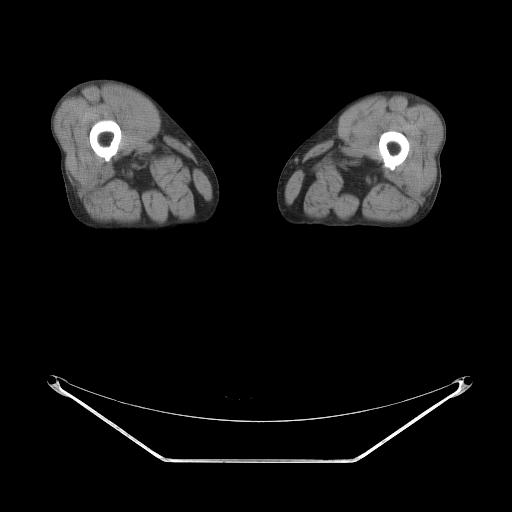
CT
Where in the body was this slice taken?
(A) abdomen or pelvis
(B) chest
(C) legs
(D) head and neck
Answer: (C) legs
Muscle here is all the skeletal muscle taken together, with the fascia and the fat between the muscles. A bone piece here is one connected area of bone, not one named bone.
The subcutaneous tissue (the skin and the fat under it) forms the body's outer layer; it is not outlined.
The muscle appears in 2 outlined pieces: piece 1: (115, 81) (122, 82) (147, 93) (165, 120) (193, 146) (211, 175) (214, 185) (214, 200) (203, 216) (189, 221) (169, 221) (164, 225) (153, 223) (122, 225) (116, 223) (101, 224) (82, 212) (66, 174) (65, 153) (54, 131) (54, 117) (61, 103) (81, 86) (90, 82), around a hole outlined by (102, 119) (113, 119) (119, 125) (122, 132) (122, 137) (121, 138) (121, 141) (120, 142) (120, 145) (119, 146) (118, 151) (117, 153) (114, 156) (113, 156) (108, 162) (105, 161) (103, 158) (98, 156) (94, 152) (89, 142) (89, 132) (90, 131) (91, 127) (95, 122); piece 2: (387, 93) (405, 93) (425, 102) (437, 114) (442, 124) (443, 137) (435, 155) (435, 184) (427, 198) (423, 213) (397, 223) (369, 220) (342, 221) (327, 218) (315, 220) (292, 215) (284, 203) (284, 189) (287, 168) (294, 157) (306, 146) (323, 135) (350, 105) (371, 95); inner edge: (388, 130) (395, 130) (396, 131) (401, 132) (407, 138) (410, 144) (410, 148) (406, 158) (404, 161) (401, 164) (398, 165) (394, 169) (394, 170) (390, 170) (388, 168) (386, 168) (383, 166) (383, 162) (378, 151) (378, 142) (379, 141) (379, 137) (383, 132). The left leg is outlined by (388, 88) (408, 90) (421, 95) (438, 108) (445, 120) (446, 139) (440, 155) (441, 183) (429, 213) (422, 221) (408, 229) (384, 229) (363, 226) (326, 227) (322, 225) (292, 225) (285, 221) (280, 215) (276, 205) (276, 188) (280, 173) (291, 154) (346, 103) (367, 92). The bones appear in 2 outlined pieces: piece 1: (102, 119) (113, 119) (119, 125) (122, 132) (122, 137) (121, 138) (121, 141) (120, 142) (120, 145) (119, 146) (118, 151) (117, 153) (114, 156) (113, 156) (108, 162) (105, 161) (103, 158) (98, 156) (94, 152) (89, 142) (89, 132) (90, 131) (91, 127) (95, 122); piece 2: (388, 130) (395, 130) (396, 131) (401, 132) (407, 138) (410, 144) (410, 148) (406, 158) (404, 161) (401, 164) (398, 165) (394, 169) (394, 170) (390, 170) (388, 168) (386, 168) (383, 166) (383, 162) (378, 151) (378, 142) (379, 141) (379, 137) (383, 132). The right leg is outlined by (98, 77) (121, 79) (147, 92) (202, 150) (213, 167) (220, 189) (217, 209) (213, 217) (208, 221) (195, 226) (177, 227) (169, 231) (160, 232) (98, 232) (86, 227) (73, 216) (67, 201) (60, 169) (60, 151) (50, 129) (50, 117) (55, 104) (68, 89) (81, 81).